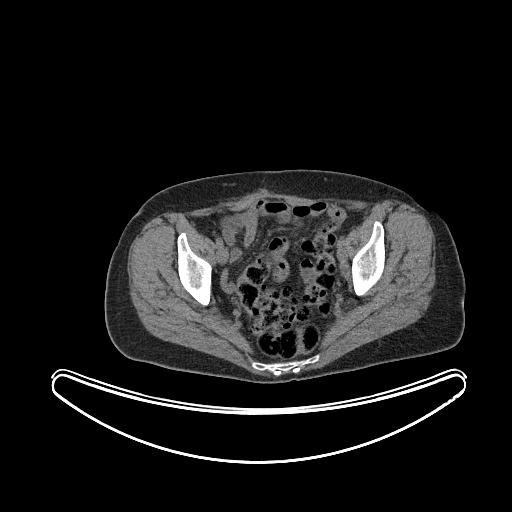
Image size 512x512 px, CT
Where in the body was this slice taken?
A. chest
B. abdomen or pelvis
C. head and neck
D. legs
Answer: B. abdomen or pelvis
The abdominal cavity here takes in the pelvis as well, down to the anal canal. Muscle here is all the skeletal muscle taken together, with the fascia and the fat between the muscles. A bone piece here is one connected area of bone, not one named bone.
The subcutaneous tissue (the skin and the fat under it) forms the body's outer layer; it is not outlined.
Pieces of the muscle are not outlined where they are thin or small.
{"torso":[[[295,168],[340,171],[387,183],[405,191],[445,220],[455,241],[466,282],[465,327],[459,342],[447,350],[424,356],[283,383],[254,383],[178,371],[132,360],[121,354],[110,340],[105,325],[106,274],[120,235],[140,206],[156,192],[196,178],[242,171]]],"bones":[[[376,220],[379,221],[382,224],[384,228],[384,246],[385,247],[384,268],[382,274],[377,282],[363,295],[358,296],[355,294],[353,288],[353,283],[352,282],[352,276],[351,275],[352,259],[357,251],[361,248],[370,238],[373,229],[373,224]],[[181,232],[184,232],[185,233],[187,238],[187,242],[191,250],[198,256],[205,259],[211,265],[212,268],[211,270],[211,293],[210,294],[210,300],[209,303],[207,305],[203,305],[198,302],[183,287],[180,281],[178,271],[177,270],[177,237]],[[315,354],[319,354],[319,359],[316,362],[305,364],[296,373],[288,371],[287,372],[283,372],[280,375],[275,375],[269,370],[266,369],[258,370],[255,369],[251,365],[251,361],[260,361],[265,363],[269,363],[270,362],[279,362],[280,361],[300,360]]],"abdominal_cavity":[[[263,197],[281,198],[297,205],[329,201],[367,213],[362,222],[343,239],[349,261],[350,293],[345,306],[327,325],[317,349],[300,359],[263,361],[256,355],[238,325],[220,312],[212,293],[216,244],[200,233],[190,220],[223,209],[241,210]]],"muscle":[{"outer":[[259,188],[308,198],[392,199],[415,208],[435,238],[435,283],[424,314],[322,367],[299,372],[320,359],[312,354],[351,295],[344,239],[368,213],[329,200],[297,204],[263,196],[241,209],[190,217],[215,244],[215,264],[195,253],[181,231],[176,270],[198,303],[207,306],[212,294],[219,312],[237,325],[262,361],[250,365],[274,375],[252,373],[149,333],[132,303],[127,274],[129,248],[142,227],[167,207],[227,201]],"hole":[[376,220],[379,221],[382,224],[384,228],[384,246],[385,247],[384,268],[382,274],[377,282],[363,295],[358,296],[355,294],[353,288],[353,283],[352,282],[352,276],[351,275],[352,259],[357,251],[361,248],[370,238],[373,229],[373,224]]}]}